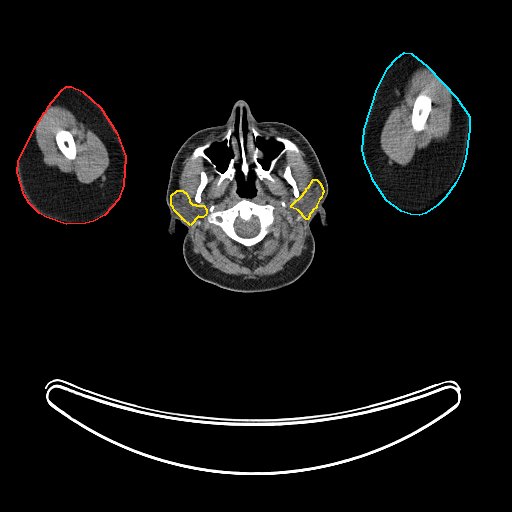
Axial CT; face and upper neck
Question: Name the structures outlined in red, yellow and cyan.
Answer: red: right arm; yellow: parotid glands; cyan: left arm.
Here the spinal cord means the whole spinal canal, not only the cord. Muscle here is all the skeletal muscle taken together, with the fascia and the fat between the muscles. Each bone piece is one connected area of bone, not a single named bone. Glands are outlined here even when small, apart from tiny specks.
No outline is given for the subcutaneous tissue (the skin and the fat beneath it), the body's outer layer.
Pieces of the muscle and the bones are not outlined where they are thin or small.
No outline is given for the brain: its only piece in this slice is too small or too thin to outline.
{"right_arm":[[[66,86],[71,86],[82,91],[100,107],[116,132],[125,156],[123,185],[118,199],[104,215],[93,221],[85,223],[66,224],[46,217],[39,213],[29,203],[24,195],[17,172],[18,161],[34,128],[44,112],[46,111],[48,106],[61,90]]],"parotid_glands":[[[177,190],[182,190],[184,192],[185,192],[189,199],[189,201],[192,204],[195,204],[196,205],[203,205],[206,209],[206,213],[205,215],[202,217],[199,217],[198,216],[190,225],[183,219],[182,219],[182,218],[174,210],[173,207],[171,205],[171,195]],[[313,179],[316,179],[319,182],[322,187],[323,192],[322,193],[321,197],[319,199],[316,205],[316,207],[312,210],[312,211],[309,214],[309,216],[307,219],[306,219],[298,210],[291,207],[291,205],[303,194],[303,193],[306,190],[306,188],[308,187]]],"left_arm":[[[404,52],[411,53],[427,66],[456,97],[469,116],[469,129],[465,158],[461,171],[455,183],[445,197],[437,205],[425,213],[419,215],[410,214],[401,211],[386,200],[372,179],[371,174],[366,165],[362,150],[364,129],[377,88],[388,67],[396,58]]],"head":[{"outer":[[238,100],[248,104],[258,121],[282,122],[303,134],[328,184],[323,205],[327,225],[318,215],[309,223],[315,241],[309,267],[273,290],[233,291],[200,279],[182,253],[188,228],[177,220],[174,235],[168,231],[166,191],[175,154],[196,131],[223,124]],"holes":[[[223,141],[225,142],[226,144],[226,146],[231,150],[232,155],[229,159],[228,161],[228,163],[227,164],[227,166],[224,170],[224,171],[220,171],[216,167],[216,165],[212,161],[212,160],[206,154],[205,151],[210,147],[212,143],[214,142],[222,142]],[[258,137],[264,138],[266,140],[268,140],[271,138],[273,138],[277,142],[279,142],[282,144],[282,148],[281,150],[269,161],[268,167],[267,168],[264,168],[259,160],[264,156],[264,153],[256,144],[256,139]],[[237,165],[238,165],[238,169],[243,175],[243,179],[244,180],[247,180],[248,179],[248,175],[250,171],[253,172],[255,176],[253,179],[253,184],[256,191],[255,195],[251,197],[242,197],[238,194],[237,191],[238,181],[236,178],[236,174],[238,171]],[[243,110],[245,110],[245,111],[246,112],[246,119],[247,120],[247,133],[246,134],[246,136],[245,137],[244,137],[244,135],[243,134],[243,128],[242,127],[242,116],[243,115]],[[237,109],[238,109],[239,110],[239,111],[240,112],[240,114],[239,115],[239,120],[238,121],[238,137],[237,138],[235,136],[235,135],[234,134],[234,132],[235,131],[235,127],[234,126],[234,124],[235,123],[235,116],[236,115],[236,110]]]}],"spinal_cord":[[[238,218],[241,219],[243,221],[246,221],[247,222],[252,218],[253,218],[254,220],[257,219],[259,224],[259,229],[258,230],[258,232],[255,235],[250,237],[243,237],[242,236],[240,236],[236,232],[235,230],[235,227],[234,226],[234,224]]],"muscle":[{"outer":[[256,127],[271,127],[298,139],[312,169],[313,178],[290,205],[307,220],[306,248],[297,263],[274,275],[244,279],[200,263],[192,250],[190,226],[198,217],[204,217],[207,209],[203,204],[192,203],[186,192],[179,189],[178,181],[182,161],[190,146],[211,133],[225,131],[219,141],[209,140],[196,146],[189,158],[193,161],[202,157],[211,165],[218,175],[218,187],[225,179],[232,181],[235,176],[236,191],[242,198],[220,210],[215,210],[211,205],[206,221],[218,226],[229,238],[244,247],[260,243],[271,232],[275,207],[247,198],[256,195],[254,179],[256,176],[259,180],[274,182],[271,172],[278,161],[289,151],[298,155],[300,149],[291,139],[280,135],[266,137]],"holes":[[[287,164],[289,164],[290,166],[290,169],[291,170],[291,173],[292,174],[292,176],[295,180],[297,188],[299,191],[299,195],[297,197],[295,197],[293,193],[293,188],[292,186],[290,184],[289,184],[283,177],[283,174],[285,170],[285,167],[287,165]],[[201,171],[204,171],[205,172],[207,176],[207,179],[208,181],[205,187],[201,192],[201,194],[200,195],[201,200],[199,202],[197,202],[195,201],[195,195],[197,191],[197,188],[200,183],[200,173]]]},{"outer":[[423,65],[427,66],[451,92],[450,96],[452,107],[450,131],[444,139],[432,140],[426,147],[418,149],[409,163],[406,165],[400,165],[382,151],[380,147],[380,134],[389,112],[400,99],[400,97],[398,96],[402,91],[405,83],[412,73],[417,68]],"hole":[[421,92],[425,92],[425,93],[431,98],[431,109],[426,119],[426,121],[425,122],[425,127],[422,130],[416,132],[413,130],[413,128],[411,124],[411,114],[412,113],[412,110],[413,109],[413,105],[414,104],[415,99],[416,97]]},{"outer":[[50,105],[51,106],[59,105],[70,110],[79,120],[81,120],[90,128],[105,145],[110,161],[109,166],[105,172],[93,182],[89,184],[81,183],[73,175],[62,172],[56,167],[48,166],[43,162],[41,153],[37,145],[36,133],[34,128],[48,106]],"hole":[[60,129],[64,129],[65,130],[68,130],[71,133],[73,137],[73,139],[75,143],[75,148],[76,149],[76,155],[75,156],[75,158],[72,160],[70,159],[68,159],[62,153],[62,152],[57,145],[57,143],[55,139],[55,135],[56,134],[56,132]]}],"bones":[[[241,112],[244,138],[251,124],[268,138],[255,139],[263,153],[258,160],[264,169],[283,148],[274,138],[277,136],[291,140],[299,153],[289,150],[282,155],[270,172],[274,181],[259,179],[252,170],[245,176],[237,164],[234,178],[225,178],[218,186],[219,175],[212,165],[202,156],[193,160],[190,157],[196,147],[210,141],[204,152],[224,172],[233,153],[220,140],[230,125],[234,127],[234,136],[239,137]],{"outer":[[243,198],[246,198],[260,205],[270,204],[274,207],[274,220],[270,226],[270,232],[260,242],[252,246],[244,246],[229,237],[218,225],[208,223],[207,221],[207,217],[210,212],[209,210],[211,206],[213,206],[213,209],[215,211],[220,211],[233,206]],"hole":[[253,217],[255,217],[258,220],[258,223],[259,224],[259,229],[258,230],[258,232],[255,235],[251,236],[250,237],[243,237],[242,236],[240,236],[236,232],[235,230],[234,224],[236,220],[238,218],[239,218],[243,221],[246,221],[247,222],[249,221]]},[[421,92],[425,92],[425,93],[431,98],[431,109],[426,119],[426,121],[425,122],[425,127],[422,130],[416,132],[413,130],[413,128],[411,124],[411,114],[412,113],[412,110],[413,109],[413,105],[414,104],[415,99],[416,97]],[[60,129],[64,129],[65,130],[68,130],[71,133],[73,137],[73,139],[75,143],[75,148],[76,149],[76,155],[75,156],[75,158],[72,160],[70,159],[68,159],[62,153],[62,152],[57,145],[57,143],[55,139],[55,135],[56,134],[56,132]],[[287,164],[289,164],[290,166],[290,169],[291,170],[291,173],[292,174],[292,176],[295,180],[297,188],[299,191],[299,195],[297,197],[295,197],[293,193],[293,188],[292,186],[290,184],[289,184],[283,177],[283,174],[285,170],[285,167],[287,165]],[[201,171],[204,171],[205,172],[207,176],[207,179],[208,181],[205,187],[201,192],[201,194],[200,195],[201,200],[199,202],[197,202],[195,201],[195,195],[197,191],[197,188],[200,183],[200,173]]]}